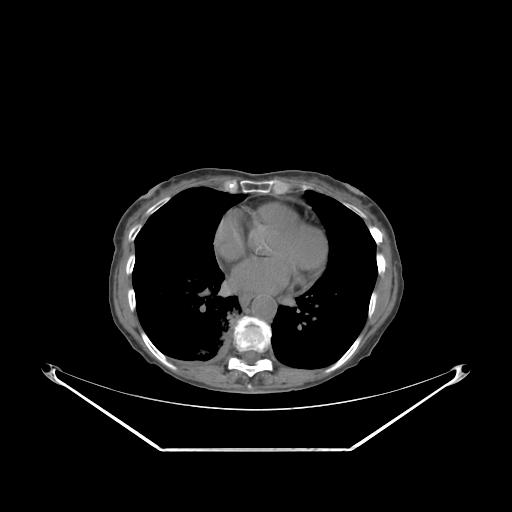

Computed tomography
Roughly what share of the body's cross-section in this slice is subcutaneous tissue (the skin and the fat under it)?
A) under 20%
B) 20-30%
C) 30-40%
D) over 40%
Answer: A) under 20%
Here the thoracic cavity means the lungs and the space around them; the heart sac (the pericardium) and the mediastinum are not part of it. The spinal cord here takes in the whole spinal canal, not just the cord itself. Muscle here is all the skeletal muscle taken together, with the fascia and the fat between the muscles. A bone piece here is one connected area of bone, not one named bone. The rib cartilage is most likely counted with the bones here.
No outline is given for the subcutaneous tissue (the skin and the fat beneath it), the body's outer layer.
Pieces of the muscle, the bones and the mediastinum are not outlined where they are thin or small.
{"thoracic_cavity":[[[201,186],[231,194],[245,194],[242,200],[222,215],[214,231],[212,242],[216,262],[237,298],[239,316],[233,326],[232,345],[223,357],[215,361],[182,362],[167,357],[152,342],[140,322],[132,279],[136,261],[134,241],[148,217],[172,197],[186,189]],[[307,190],[329,196],[359,216],[376,245],[377,275],[370,294],[365,322],[339,358],[325,367],[316,368],[293,367],[282,363],[274,356],[271,343],[271,325],[279,306],[295,304],[296,298],[322,275],[328,261],[329,244],[326,231],[305,199],[304,193]]],"torso":[[[202,167],[250,173],[286,169],[317,171],[357,187],[378,204],[395,234],[404,289],[394,319],[370,355],[316,387],[287,393],[244,395],[213,392],[182,383],[147,362],[131,347],[115,326],[108,305],[108,274],[115,227],[128,206],[152,186],[175,174]]],"pericardium":[[[265,193],[297,198],[302,202],[310,205],[315,216],[325,231],[328,244],[328,253],[325,268],[321,275],[305,291],[297,295],[275,296],[262,292],[243,291],[225,277],[215,256],[213,244],[214,235],[217,226],[224,214],[231,207],[245,198],[256,194]]],"bones":[{"outer":[[242,316],[252,316],[258,318],[270,326],[271,328],[271,337],[270,338],[271,352],[270,351],[267,355],[272,360],[273,369],[271,371],[269,370],[258,371],[250,377],[245,372],[241,370],[227,368],[229,358],[236,353],[233,344],[234,326],[239,318]],"hole":[[249,350],[252,350],[253,351],[256,351],[257,352],[258,352],[260,354],[260,355],[261,356],[260,357],[260,358],[259,359],[258,359],[253,364],[249,364],[248,363],[245,362],[241,358],[241,354],[243,352],[245,352],[246,351],[248,351]]},[[233,179],[237,180],[248,179],[253,181],[263,181],[264,180],[277,179],[283,182],[288,183],[290,185],[290,188],[288,192],[281,194],[275,194],[272,192],[265,192],[264,193],[238,192],[237,193],[231,193],[223,190],[222,184],[227,180],[232,180]],[[141,330],[143,330],[144,331],[151,342],[164,355],[166,356],[167,359],[171,363],[177,367],[177,369],[176,370],[172,370],[170,369],[164,365],[160,361],[159,361],[153,355],[153,354],[149,350],[145,344],[141,336],[141,334],[140,333]],[[360,333],[362,334],[362,338],[357,348],[352,354],[352,355],[342,365],[341,365],[338,368],[335,369],[333,371],[329,373],[325,373],[324,372],[324,370],[328,366],[333,364],[341,357],[341,356],[354,342],[354,341],[357,338],[357,337]],[[166,196],[170,196],[171,197],[163,205],[162,205],[153,213],[152,213],[149,216],[146,216],[146,215],[145,214],[145,212],[147,210],[147,209],[149,207],[150,207],[153,204],[154,204],[157,201],[158,201],[160,199],[161,199],[162,198],[163,198]],[[370,224],[371,225],[374,225],[375,226],[376,226],[380,230],[380,231],[382,233],[382,240],[381,241],[381,242],[378,245],[377,245],[376,244],[376,243],[375,242],[375,241],[374,240],[373,237],[371,235],[371,234],[368,229],[368,227],[367,226]],[[377,251],[378,252],[380,252],[383,255],[383,256],[384,257],[384,258],[385,259],[385,270],[384,271],[384,272],[383,273],[383,274],[382,275],[379,275],[378,274],[378,271],[377,270],[377,262],[376,261],[376,253],[377,252]],[[373,290],[375,290],[376,291],[376,294],[377,295],[376,296],[376,302],[375,303],[375,307],[374,308],[374,310],[372,313],[372,315],[370,318],[368,318],[367,317],[367,316],[368,315],[368,307],[369,306],[369,302],[370,301],[371,294],[372,293]],[[131,287],[132,287],[133,288],[133,290],[134,291],[134,294],[135,295],[135,310],[134,311],[131,311],[131,310],[130,309],[130,307],[129,306],[129,303],[128,302],[128,297],[127,296],[127,293],[128,292],[128,289],[129,288],[130,288]],[[138,223],[140,223],[141,224],[142,224],[142,226],[140,228],[139,231],[137,233],[137,234],[136,235],[133,242],[131,242],[130,241],[129,241],[129,240],[128,239],[128,234],[129,233],[129,231],[130,230],[130,229],[135,224],[137,224]],[[134,252],[134,254],[135,255],[135,261],[134,262],[134,265],[133,266],[133,269],[132,270],[132,272],[131,273],[131,274],[130,274],[129,275],[126,273],[126,270],[125,269],[125,268],[126,267],[126,263],[127,262],[128,257],[132,253],[133,253]],[[343,201],[344,201],[345,202],[347,202],[350,204],[352,204],[356,207],[357,207],[365,214],[365,215],[366,216],[366,218],[365,219],[362,218],[355,212],[354,212],[352,210],[351,210],[349,208],[348,208],[346,206],[345,206],[341,202],[342,202]]],"spinal_cord":[[[249,350],[252,350],[253,351],[256,351],[257,352],[258,352],[260,354],[260,355],[261,356],[260,357],[260,358],[259,359],[258,359],[253,364],[249,364],[248,363],[245,362],[241,358],[241,354],[243,352],[245,352],[246,351],[248,351]]],"muscle":[[[233,345],[235,353],[228,358],[226,368],[228,370],[241,371],[250,378],[258,372],[271,372],[274,369],[273,360],[268,355],[270,352],[279,362],[286,366],[303,369],[325,368],[323,372],[329,374],[320,379],[308,381],[297,386],[260,388],[254,390],[251,390],[252,385],[250,383],[246,385],[248,389],[236,389],[212,386],[200,381],[188,379],[170,370],[176,371],[178,367],[168,358],[182,363],[215,362],[223,358]],[[275,176],[288,177],[291,179],[316,183],[324,188],[328,188],[335,191],[338,194],[360,204],[376,217],[385,229],[388,236],[391,248],[392,261],[396,268],[398,280],[397,294],[394,305],[388,316],[363,347],[351,360],[341,367],[358,348],[363,338],[363,334],[361,331],[367,318],[370,319],[372,317],[376,307],[378,295],[377,291],[374,289],[375,283],[377,276],[382,276],[386,270],[386,259],[384,255],[377,250],[377,246],[383,240],[383,233],[376,225],[370,223],[367,225],[364,221],[367,218],[366,214],[354,204],[344,200],[340,202],[329,195],[314,190],[314,187],[308,183],[299,184],[298,186],[300,191],[290,191],[291,185],[288,182],[277,178],[268,179]],[[147,207],[144,212],[145,216],[147,217],[144,223],[143,224],[140,222],[135,223],[128,231],[127,239],[129,242],[133,243],[134,251],[127,257],[124,269],[127,275],[129,276],[131,275],[132,280],[132,286],[127,289],[126,293],[129,309],[131,312],[135,311],[136,312],[142,328],[139,332],[140,336],[148,350],[156,359],[150,356],[122,325],[116,314],[113,300],[114,274],[122,254],[123,236],[128,228],[141,215]],[[221,175],[232,175],[233,176],[239,176],[243,178],[240,179],[233,178],[225,180],[221,184],[222,190],[203,185],[193,186],[186,188],[173,196],[166,195],[149,206],[162,196],[181,187],[183,185],[191,182],[197,182],[213,176],[220,176]]],"mediastinum":[[[225,278],[235,287],[240,289],[243,292],[262,293],[270,296],[272,295],[275,297],[292,297],[302,294],[297,296],[294,300],[295,303],[291,305],[279,305],[270,325],[264,320],[252,315],[242,315],[239,317],[240,316],[240,307],[239,306],[238,298]],[[289,192],[304,192],[303,193],[303,195],[304,196],[304,199],[305,200],[305,201],[306,202],[305,202],[304,201],[302,201],[299,198],[298,198],[297,197],[294,197],[293,196],[287,196],[286,195],[282,195],[282,194],[285,194],[286,193],[288,193]]]}